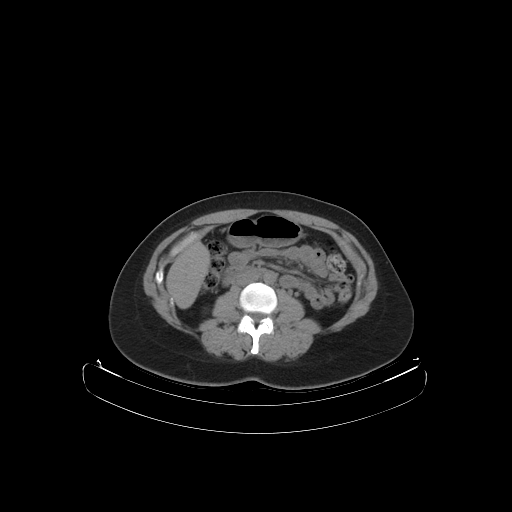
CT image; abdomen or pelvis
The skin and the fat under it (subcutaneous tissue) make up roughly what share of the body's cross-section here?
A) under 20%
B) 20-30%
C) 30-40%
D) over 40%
Answer: D) over 40%
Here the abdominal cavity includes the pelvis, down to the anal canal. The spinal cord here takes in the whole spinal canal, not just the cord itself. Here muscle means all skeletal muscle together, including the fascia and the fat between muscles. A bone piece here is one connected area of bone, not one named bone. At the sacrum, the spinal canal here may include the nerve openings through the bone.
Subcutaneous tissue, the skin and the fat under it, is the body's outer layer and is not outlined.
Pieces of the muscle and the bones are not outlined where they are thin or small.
The spinal cord is outlined by 252,312 259,312 260,313 263,313 265,315 265,316 264,317 263,317 259,321 259,322 257,324 255,324 254,323 254,320 250,316 250,315 249,314 249,313 251,313. The muscle is outlined by 237,208 296,210 328,219 351,233 374,264 378,288 371,308 341,330 318,337 305,353 289,363 268,362 258,356 261,335 274,332 271,315 278,304 277,289 288,292 302,303 305,318 327,328 344,315 360,284 356,269 333,238 284,215 262,211 215,225 191,243 198,235 191,231 169,250 171,257 179,254 154,274 155,282 158,285 162,283 170,297 169,305 176,315 192,328 213,317 214,303 219,296 232,286 240,286 238,303 243,313 236,330 251,337 252,355 243,361 219,360 209,354 198,340 170,325 154,309 143,289 143,274 155,248 168,233 197,216. The bones appear in 3 outlined pieces: piece 1: 252,282 262,282 270,286 275,291 277,297 277,304 270,315 273,321 273,332 260,335 258,339 258,352 256,354 251,353 253,343 252,337 246,332 238,332 237,330 237,326 244,313 239,303 240,292 246,285; inner edge: 252,312 259,312 260,313 263,313 265,315 265,316 264,317 263,317 259,321 259,322 257,324 255,324 254,323 254,320 250,316 250,315 249,314 249,313 251,313; piece 2: 193,231 195,232 195,233 197,235 196,237 187,245 186,245 185,247 184,247 181,250 180,250 177,253 176,253 175,255 173,256 171,256 169,254 169,252 170,250 173,247 179,244 185,237 186,237 191,232; piece 3: 160,268 162,268 163,269 163,280 162,281 162,282 160,284 158,284 156,282 156,281 155,280 155,274 156,273 156,272. The abdominal cavity is outlined by 262,212 289,218 337,243 357,275 356,292 346,311 322,327 315,319 304,316 303,303 288,291 252,281 241,289 238,284 232,285 219,295 213,303 212,317 202,319 196,327 182,321 164,289 167,265 213,227. The torso is outlined by 242,190 305,194 339,205 367,224 390,259 414,308 412,336 404,351 392,363 363,377 329,387 287,391 253,380 221,387 179,383 134,366 118,351 109,335 107,310 116,278 132,251 159,222 176,210 209,196.